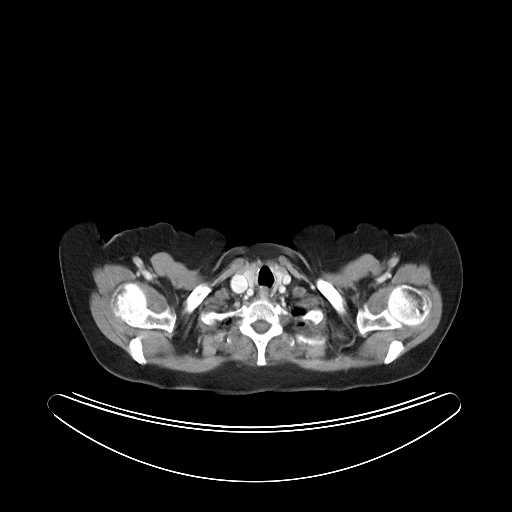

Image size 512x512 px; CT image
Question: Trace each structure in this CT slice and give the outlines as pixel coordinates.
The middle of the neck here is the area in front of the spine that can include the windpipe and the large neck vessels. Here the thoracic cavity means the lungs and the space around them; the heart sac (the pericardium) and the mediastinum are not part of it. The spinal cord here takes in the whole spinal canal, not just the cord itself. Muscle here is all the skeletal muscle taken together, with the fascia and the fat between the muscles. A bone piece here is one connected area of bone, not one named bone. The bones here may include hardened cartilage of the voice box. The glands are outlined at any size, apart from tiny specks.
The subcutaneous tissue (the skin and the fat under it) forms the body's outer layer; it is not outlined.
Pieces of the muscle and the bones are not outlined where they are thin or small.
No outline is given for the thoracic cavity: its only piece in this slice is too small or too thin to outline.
Answer: The torso is outlined by [[363,221],[389,231],[379,286],[391,315],[417,330],[447,333],[411,377],[342,391],[162,389],[108,372],[79,329],[123,326],[154,302],[155,272],[137,226],[212,227],[226,236],[227,249],[255,242],[293,248],[292,236],[306,224],[326,222],[339,235]]. The spinal cord is outlined by [[258,320],[263,320],[264,321],[265,321],[266,322],[267,322],[269,324],[269,327],[268,328],[268,329],[266,331],[265,331],[262,333],[259,333],[258,332],[257,332],[253,328],[253,327],[252,326],[252,324],[254,322],[255,322]]. The muscle is outlined by [[159,251],[205,275],[235,257],[262,252],[286,254],[314,272],[336,271],[364,253],[381,260],[396,252],[399,264],[424,261],[429,265],[442,295],[442,315],[427,339],[399,357],[404,344],[392,339],[382,364],[330,372],[294,364],[266,365],[267,344],[284,332],[282,316],[317,325],[325,315],[320,308],[305,311],[295,307],[291,312],[273,303],[270,300],[286,298],[292,276],[277,264],[259,261],[229,278],[229,286],[236,296],[254,299],[235,309],[199,314],[208,326],[237,318],[235,327],[255,345],[258,366],[227,362],[203,373],[161,368],[146,364],[139,335],[128,342],[130,357],[110,341],[97,327],[89,308],[95,266],[111,262],[134,269],[134,256],[147,262]]; inner edges: [[401,284],[406,284],[419,289],[430,298],[432,306],[428,317],[415,326],[404,325],[400,328],[394,329],[376,329],[368,331],[363,336],[361,335],[356,325],[356,315],[358,309],[365,304],[371,313],[378,314],[387,306],[388,296],[392,289],[395,286]], then [[126,282],[136,282],[138,284],[146,296],[147,307],[152,311],[156,313],[160,313],[167,308],[169,308],[171,312],[175,313],[176,319],[171,332],[159,328],[134,327],[127,324],[119,317],[115,316],[110,305],[110,300],[112,297],[112,294],[117,287]], then [[318,277],[321,277],[323,279],[328,281],[337,290],[337,291],[340,294],[340,295],[342,297],[344,301],[344,304],[343,305],[345,309],[345,313],[341,315],[339,314],[334,308],[334,307],[331,304],[331,303],[316,287],[315,285],[315,280]], then [[204,282],[206,283],[210,287],[211,290],[205,296],[205,297],[200,302],[200,303],[190,313],[187,313],[186,312],[184,312],[184,308],[186,305],[186,303],[185,302],[186,301],[186,299],[187,297],[193,290],[193,289],[197,285],[201,283],[203,283]], then [[297,333],[298,334],[301,334],[313,338],[315,337],[318,338],[325,337],[326,340],[323,344],[314,344],[313,345],[307,343],[303,343],[302,342],[297,342],[296,341],[292,346],[290,346],[288,344],[289,337],[290,336],[293,336]]. The thyroid glands appear in 2 outlined pieces: piece 1: [[274,270],[275,271],[277,271],[278,272],[280,272],[281,273],[284,274],[282,277],[282,279],[281,280],[281,282],[279,284],[279,285],[278,286],[277,289],[276,289],[274,286],[275,285],[275,282],[276,281],[276,277],[275,276],[275,274],[274,273]]; piece 2: [[248,269],[249,269],[253,273],[253,281],[252,282],[252,283],[251,284],[251,285],[248,285],[248,279],[247,278],[246,278],[246,277],[244,275],[243,275],[242,274],[241,274],[242,274],[243,273],[244,273],[246,271],[246,270],[247,270]]. The right arm is outlined by [[78,217],[89,217],[95,220],[105,240],[108,240],[114,234],[124,229],[134,227],[137,228],[140,234],[140,237],[146,249],[154,272],[155,297],[153,302],[146,310],[123,325],[102,328],[79,328],[70,311],[60,271],[58,241],[64,226],[73,219]]. The left arm is outlined by [[431,219],[437,220],[443,223],[450,230],[459,247],[463,264],[463,286],[462,287],[461,298],[454,319],[447,332],[417,329],[408,326],[396,319],[392,315],[389,309],[380,286],[380,281],[389,232],[391,233],[402,233],[407,231],[416,222]]. The bones appear in 8 outlined pieces: piece 1: [[255,299],[267,299],[279,304],[294,316],[312,309],[320,309],[324,316],[317,324],[307,324],[282,315],[283,332],[268,341],[264,354],[266,363],[259,366],[256,363],[256,345],[236,327],[237,317],[214,325],[208,325],[200,318],[202,312],[235,310]] with a hole at [[258,320],[263,320],[264,321],[265,321],[266,322],[267,322],[269,324],[269,327],[268,328],[268,329],[266,331],[265,331],[262,333],[259,333],[258,332],[257,332],[253,328],[253,327],[252,326],[252,324],[254,322],[255,322]]; piece 2: [[401,284],[406,284],[419,289],[430,298],[432,306],[428,317],[415,326],[404,325],[400,328],[394,329],[376,329],[368,331],[363,336],[361,335],[356,325],[356,315],[358,309],[365,304],[371,313],[378,314],[387,306],[388,296],[392,289],[395,286]]; piece 3: [[126,282],[136,282],[138,284],[146,296],[147,307],[152,311],[156,313],[160,313],[167,308],[169,308],[171,312],[175,313],[176,319],[171,332],[159,328],[134,327],[127,324],[119,317],[115,316],[110,305],[110,300],[112,297],[112,294],[117,287]]; piece 4: [[318,277],[321,277],[323,279],[328,281],[337,290],[337,291],[340,294],[340,295],[342,297],[344,301],[344,304],[343,305],[345,309],[345,313],[341,315],[339,314],[334,308],[334,307],[331,304],[331,303],[316,287],[315,285],[315,280]]; piece 5: [[204,282],[206,283],[210,287],[211,290],[205,296],[205,297],[200,302],[200,303],[190,313],[187,313],[186,312],[184,312],[184,308],[186,305],[186,303],[185,302],[186,301],[186,299],[187,297],[193,290],[193,289],[197,285],[201,283],[203,283]]; piece 6: [[137,336],[139,336],[141,338],[141,343],[142,344],[142,351],[143,352],[144,357],[146,360],[146,363],[145,364],[140,364],[139,363],[138,363],[135,360],[134,360],[131,357],[131,356],[128,351],[128,346],[129,345],[129,342],[130,341],[130,340]]; piece 7: [[297,333],[298,334],[301,334],[313,338],[315,337],[318,338],[325,337],[326,340],[323,344],[314,344],[313,345],[307,343],[303,343],[302,342],[297,342],[296,341],[292,346],[290,346],[288,344],[289,337],[290,336],[293,336]]; piece 8: [[392,340],[398,340],[399,341],[402,342],[402,343],[403,344],[403,350],[394,360],[393,360],[391,362],[390,362],[387,364],[385,364],[383,362],[383,361],[384,360],[384,358],[387,353],[387,351],[388,350],[388,347],[389,346],[389,344]]. The middle of the neck is outlined by [[259,262],[268,262],[277,265],[291,276],[291,281],[289,284],[287,295],[283,300],[267,298],[244,299],[239,297],[232,291],[232,288],[230,286],[230,278],[234,274],[240,274],[244,276],[247,279],[247,285],[252,285],[254,281],[254,273],[250,268]]; inner edge: [[274,270],[275,271],[277,271],[278,272],[280,272],[281,273],[284,274],[282,277],[282,279],[281,280],[281,282],[279,284],[279,285],[278,286],[277,289],[276,289],[274,286],[275,285],[275,282],[276,281],[276,277],[275,276],[275,274],[274,273]].